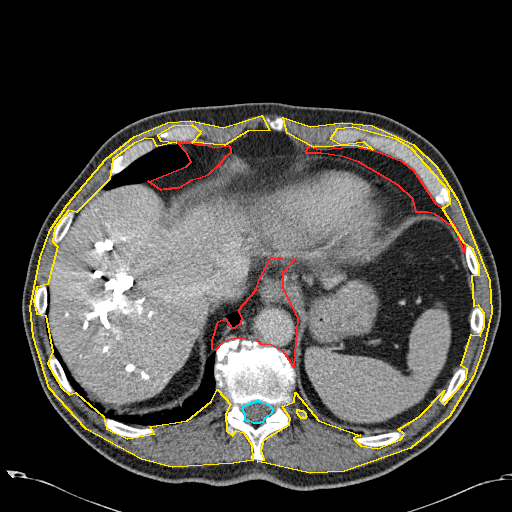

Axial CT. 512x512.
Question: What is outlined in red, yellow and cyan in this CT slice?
Answer: red: mediastinum; yellow: muscle; cyan: spinal cord.
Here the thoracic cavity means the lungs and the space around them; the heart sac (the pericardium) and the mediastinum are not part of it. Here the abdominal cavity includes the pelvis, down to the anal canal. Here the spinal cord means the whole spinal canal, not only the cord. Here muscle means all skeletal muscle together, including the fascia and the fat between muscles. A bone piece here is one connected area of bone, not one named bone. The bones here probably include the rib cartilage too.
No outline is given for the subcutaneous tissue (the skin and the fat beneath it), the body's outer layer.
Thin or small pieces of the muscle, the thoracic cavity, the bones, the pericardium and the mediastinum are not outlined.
The mediastinum appears in 3 outlined pieces: piece 1: 271 257; 294 259; 282 273; 282 287; 297 318; 293 366; 283 351; 271 345; 261 344; 256 340; 234 338; 222 342; 215 350; 212 349; 212 340; 218 321; 225 318; 231 327; 235 327; 241 322; 242 317; 238 310; 256 289; 259 279; piece 2: 309 146; 320 149; 353 146; 375 150; 402 161; 413 170; 435 203; 441 207; 444 213; 452 222; 464 244; 464 252; 457 232; 453 227; 435 214; 427 212; 416 212; 413 199; 398 185; 359 162; 341 156; 321 153; 306 153; 305 151; piece 3: 177 142; 191 142; 197 144; 205 144; 214 147; 228 145; 230 148; 230 153; 225 156; 220 163; 207 175; 200 178; 191 180; 178 188; 171 188; 170 189; 163 189; 161 190; 148 181; 186 166; 191 161; 186 152. The muscle appears in 2 outlined pieces: piece 1: 261 115; 269 130; 247 131; 224 145; 192 142; 201 132; 192 125; 173 126; 157 135; 160 140; 176 142; 157 146; 153 139; 145 138; 132 144; 112 159; 109 179; 76 212; 68 210; 54 228; 52 241; 57 246; 47 284; 36 287; 33 301; 36 313; 45 315; 52 351; 47 363; 61 387; 69 394; 75 392; 103 416; 106 428; 127 438; 154 433; 150 426; 187 420; 211 401; 217 389; 230 404; 225 413; 226 430; 232 435; 236 430; 243 432; 251 444; 252 460; 233 463; 172 467; 141 459; 86 429; 49 388; 33 336; 30 307; 40 257; 50 229; 67 204; 106 158; 134 136; 167 122; 190 120; 223 127; piece 2: 283 117; 310 126; 342 122; 372 125; 413 144; 436 166; 457 199; 489 280; 491 312; 483 347; 473 376; 449 416; 410 448; 344 471; 310 473; 257 461; 264 459; 261 450; 264 439; 289 424; 290 418; 282 406; 294 401; 295 392; 318 420; 360 435; 353 438; 360 445; 377 448; 400 439; 404 434; 398 429; 419 416; 444 390; 439 399; 444 404; 466 378; 467 369; 461 365; 471 334; 480 335; 484 326; 484 313; 478 305; 474 306; 472 275; 479 274; 479 265; 473 249; 464 243; 442 208; 450 203; 449 191; 411 148; 396 139; 352 127; 336 129; 330 138; 341 144; 363 141; 372 149; 353 145; 313 147; 287 133; inner edge: 297 409; 298 409; 299 410; 302 410; 305 413; 305 415; 306 416; 305 417; 305 418; 301 418; 298 415; 298 414; 297 413. The spinal cord is outlined by 257 400; 258 401; 266 403; 269 405; 271 407; 272 411; 270 414; 264 418; 262 422; 260 422; 259 423; 253 423; 249 421; 246 421; 245 420; 245 414; 243 411; 243 406; 246 404; 248 404; 253 401; 256 401. The pericardium is outlined by 305 153; 341 157; 359 163; 398 186; 412 199; 415 214; 408 217; 384 237; 374 247; 370 257; 359 268; 349 268; 340 264; 326 261; 304 261; 290 257; 268 255; 251 230; 248 220; 236 204; 234 185; 245 171; 247 162; 265 156. The torso is outlined by 260 101; 371 111; 421 134; 455 172; 496 263; 499 325; 460 413; 427 449; 363 482; 294 490; 261 479; 214 486; 170 483; 134 473; 96 451; 59 415; 41 387; 30 353; 21 303; 32 248; 47 214; 96 150; 122 127; 154 113. The thoracic cavity appears in 3 outlined pieces: piece 1: 47 327; 51 341; 73 379; 88 399; 94 404; 99 404; 106 412; 111 410; 118 415; 142 416; 180 407; 200 387; 210 348; 215 351; 213 367; 215 393; 199 412; 176 423; 134 426; 104 416; 89 407; 72 387; 61 363; 53 353; piece 2: 177 143; 185 152; 190 160; 189 163; 186 165; 184 165; 177 169; 174 169; 167 173; 162 174; 147 181; 136 183; 126 183; 107 189; 104 187; 105 186; 104 185; 112 176; 118 174; 134 161; 150 152; 156 147; 166 144; 176 144; piece 3: 232 312; 238 312; 240 314; 240 316; 241 317; 241 320; 240 321; 240 322; 237 325; 236 325; 235 326; 231 326; 229 324; 229 323; 227 321; 227 319; 226 318; 226 317; 228 315; 228 314; 229 314; 230 313; 231 313. The abdominal cavity appears in 2 outlined pieces: piece 1: 261 130; 285 132; 308 147; 250 159; 233 185; 237 208; 270 256; 255 289; 237 311; 217 321; 199 387; 180 406; 142 415; 106 411; 74 379; 47 326; 48 277; 58 243; 102 186; 148 182; 161 191; 178 189; 207 176; 242 134; piece 2: 416 213; 435 215; 452 227; 471 274; 473 281; 473 307; 469 319; 471 333; 462 362; 445 389; 429 406; 397 429; 364 433; 325 423; 310 412; 295 391; 296 371; 293 360; 298 318; 285 293; 283 273; 295 259; 359 269; 384 238. The bones appear in 13 outlined pieces: piece 1: 234 339; 256 341; 278 349; 287 356; 295 371; 293 401; 281 406; 289 418; 288 424; 263 439; 260 448; 262 460; 250 458; 253 452; 252 444; 243 431; 236 429; 232 434; 227 430; 226 413; 231 404; 216 388; 216 349; 222 343 with a hole at 257 400; 258 401; 266 403; 269 405; 271 407; 272 411; 270 414; 264 418; 262 422; 260 422; 259 423; 253 423; 249 421; 246 421; 245 420; 245 414; 243 411; 243 406; 246 404; 248 404; 253 401; 256 401; piece 2: 344 128; 357 129; 369 135; 383 136; 403 143; 411 149; 435 173; 449 193; 450 200; 449 203; 443 207; 436 203; 422 180; 414 170; 402 160; 373 149; 363 140; 359 140; 351 143; 341 143; 333 140; 331 138; 331 134; 336 130; piece 3: 145 139; 151 139; 153 140; 156 146; 150 151; 145 153; 143 155; 140 156; 138 158; 134 160; 124 169; 123 169; 118 173; 111 175; 109 173; 109 169; 110 168; 110 166; 112 163; 113 159; 118 155; 123 153; 132 145; piece 4: 104 417; 110 418; 118 422; 120 422; 130 426; 133 426; 134 427; 138 427; 139 428; 149 427; 153 429; 154 430; 154 432; 149 434; 146 434; 143 436; 139 436; 138 437; 127 437; 126 436; 115 433; 106 427; 103 422; 103 418; piece 5: 178 126; 192 126; 193 127; 195 127; 197 129; 200 130; 200 132; 197 135; 197 136; 196 137; 196 140; 195 141; 169 141; 166 139; 160 139; 159 138; 158 138; 158 135; 161 132; 163 132; 166 130; 168 130; 173 127; 177 127; piece 6: 394 430; 400 431; 403 434; 402 436; 397 440; 385 445; 382 445; 377 447; 374 447; 373 446; 367 446; 363 444; 360 444; 354 440; 354 438; 356 437; 360 437; 361 436; 369 436; 370 435; 377 435; 378 434; 387 433; piece 7: 52 353; 56 357; 56 358; 60 363; 62 367; 62 369; 66 376; 67 380; 69 382; 71 387; 74 390; 74 391; 72 393; 69 393; 67 392; 57 381; 57 380; 53 375; 49 367; 49 364; 48 363; 48 357; 49 355; 50 355; piece 8: 461 366; 464 367; 466 369; 466 372; 465 373; 465 378; 464 379; 462 384; 456 391; 456 392; 450 398; 449 398; 444 403; 440 403; 440 399; 442 397; 443 394; 445 392; 451 378; 453 376; 454 373; 458 369; 458 368; 459 368; piece 9: 70 210; 73 210; 75 213; 75 214; 73 217; 73 219; 72 220; 66 233; 63 236; 63 237; 57 243; 55 243; 53 241; 53 236; 54 235; 54 231; 55 230; 55 228; 56 227; 58 222; 60 220; 60 219; 68 211; 69 211; piece 10: 41 284; 44 284; 46 285; 46 287; 47 288; 47 306; 46 307; 46 311; 45 312; 45 314; 43 316; 40 316; 37 313; 37 311; 35 307; 35 302; 34 301; 34 295; 35 294; 36 289; 37 287; piece 11: 475 306; 478 306; 480 308; 480 309; 483 313; 483 326; 482 327; 482 330; 481 331; 480 334; 476 334; 475 333; 474 333; 472 331; 472 330; 470 327; 470 319; 471 318; 471 313; 472 312; 472 310; 473 309; 473 308; piece 12: 467 244; 468 245; 469 245; 470 246; 470 247; 472 249; 472 250; 475 255; 476 260; 477 261; 477 264; 478 265; 478 274; 475 276; 474 276; 471 273; 471 272; 467 265; 467 262; 466 261; 466 258; 465 257; 465 245; 466 245; piece 13: 276 115; 278 115; 282 117; 283 119; 283 122; 284 123; 285 131; 280 131; 279 132; 278 131; 274 131; 273 130; 271 130; 269 128; 267 127; 266 128; 265 127; 265 125; 266 124; 265 117; 266 116; 269 116; 271 118; 273 118.